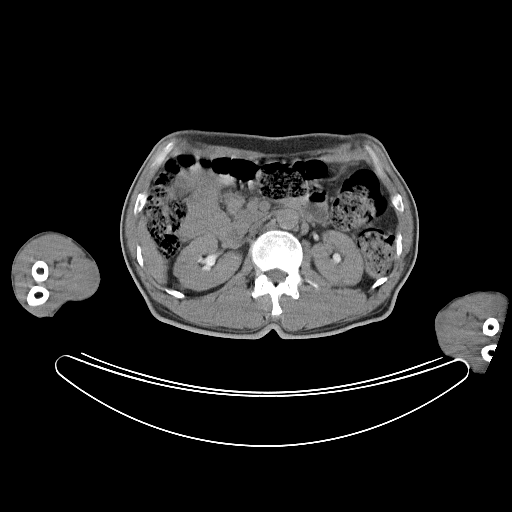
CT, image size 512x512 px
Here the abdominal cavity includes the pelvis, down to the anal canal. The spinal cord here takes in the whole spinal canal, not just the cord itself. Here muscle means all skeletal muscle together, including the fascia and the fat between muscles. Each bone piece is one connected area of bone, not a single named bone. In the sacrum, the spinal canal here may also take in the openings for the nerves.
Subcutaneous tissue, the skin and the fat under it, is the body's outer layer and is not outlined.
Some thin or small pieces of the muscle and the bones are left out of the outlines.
Outlines (x, y in pixels):
right arm: 44 230; 56 230; 62 232; 76 240; 94 258; 100 274; 100 283; 97 290; 93 295; 89 298; 81 301; 68 301; 52 317; 37 317; 24 309; 17 301; 13 293; 11 282; 10 281; 11 264; 15 253; 19 247; 29 237; 38 232
bones 1: 273 229; 287 231; 298 239; 303 252; 299 274; 304 280; 318 285; 315 288; 304 280; 298 286; 298 298; 282 294; 278 299; 282 310; 279 315; 271 315; 272 301; 269 294; 256 298; 251 294; 256 268; 249 253; 250 245; 260 234, around a hole outlined by 273 269; 279 269; 280 270; 283 271; 285 273; 286 273; 286 275; 285 276; 284 279; 283 280; 282 280; 281 281; 279 281; 276 283; 275 283; 271 280; 270 280; 267 276; 267 275; 266 274; 266 272; 269 270; 272 270
bones 2: 36 260; 43 260; 47 264; 48 267; 48 275; 47 278; 43 281; 41 284; 49 291; 49 295; 45 302; 42 304; 36 305; 35 306; 31 306; 27 303; 26 297; 28 291; 30 289; 31 286; 36 283; 31 274; 31 267
bones 3: 173 139; 174 139; 175 141; 174 145; 171 150; 167 154; 165 159; 157 168; 157 169; 156 169; 154 171; 151 171; 151 169; 150 168; 150 164; 152 160; 152 156; 153 156; 158 150; 163 147; 170 140; 172 140
bones 4: 488 317; 494 317; 495 318; 496 318; 497 319; 497 320; 498 321; 498 322; 499 323; 499 330; 494 335; 493 335; 492 336; 489 336; 488 335; 485 335; 483 333; 483 332; 482 331; 482 326; 483 325; 483 323; 484 322; 484 321
bones 5: 366 145; 368 145; 370 146; 375 151; 375 152; 379 157; 382 163; 382 165; 385 171; 385 173; 386 174; 386 177; 385 178; 383 178; 382 179; 376 171; 376 169; 374 166; 373 161; 369 153; 366 150; 365 148; 365 146
bones 6: 143 191; 146 191; 147 192; 147 199; 146 200; 146 202; 145 203; 143 208; 141 210; 141 211; 138 212; 136 214; 134 214; 133 213; 133 208; 134 207; 134 204; 135 203; 135 201; 136 200; 137 195; 139 193; 140 193
bones 7: 489 344; 496 344; 496 346; 495 347; 495 349; 493 351; 492 351; 491 352; 491 359; 489 362; 488 361; 486 361; 484 359; 483 359; 483 358; 481 355; 481 353; 480 352; 481 351; 481 348; 483 346; 484 346; 485 345; 488 345
bones 8: 395 193; 398 193; 401 196; 401 198; 402 199; 402 202; 403 203; 403 205; 404 206; 404 209; 402 212; 400 212; 399 211; 396 210; 395 209; 394 206; 392 204; 392 202; 391 201; 391 196; 392 195; 393 195
bones 9: 397 232; 399 232; 401 234; 401 246; 402 247; 402 250; 401 251; 401 254; 399 256; 399 257; 396 257; 396 242; 395 241; 395 238; 396 237; 396 234; 397 233
bones 10: 137 245; 140 245; 140 246; 141 247; 141 254; 142 255; 142 257; 143 258; 143 263; 144 264; 144 266; 143 267; 141 267; 140 266; 140 265; 138 263; 138 262; 137 261; 137 254; 136 253; 137 252
bones 11: 165 288; 168 288; 169 289; 173 289; 174 290; 177 290; 178 291; 179 291; 180 292; 181 292; 183 294; 184 294; 184 297; 183 298; 178 298; 177 297; 175 297; 173 295; 172 295; 171 294; 170 294; 169 293; 168 293; 165 290
bones 12: 385 276; 387 276; 387 279; 383 283; 382 283; 380 285; 379 285; 378 286; 377 286; 375 288; 374 288; 373 289; 371 289; 370 288; 370 287; 376 281; 376 280; 377 280; 379 278; 381 278; 382 277; 384 277
muscle 1: 170 138; 264 153; 331 148; 357 140; 370 140; 376 144; 405 191; 413 221; 412 244; 403 271; 389 296; 367 315; 308 331; 289 331; 279 321; 270 321; 254 330; 206 327; 186 321; 155 301; 133 264; 125 236; 130 199; 151 157; 149 168; 155 172; 148 190; 136 195; 132 208; 134 215; 139 213; 136 229; 140 244; 136 245; 136 261; 141 268; 145 266; 153 280; 175 298; 201 296; 221 288; 241 269; 249 254; 255 268; 250 294; 254 299; 269 295; 270 315; 279 316; 283 311; 279 301; 282 295; 298 299; 299 286; 304 281; 315 289; 319 287; 315 281; 304 279; 300 274; 304 257; 303 242; 307 242; 311 248; 311 267; 326 282; 336 288; 359 288; 364 291; 369 288; 373 290; 388 279; 395 257; 399 258; 403 250; 396 213; 404 211; 403 199; 398 192; 390 194; 383 181; 387 177; 383 163; 368 144; 364 148; 375 171; 364 162; 331 161; 311 155; 251 157; 202 155; 192 151; 167 157; 175 145; 174 138; 155 151
muscle 2: 48 233; 54 233; 65 237; 70 240; 82 251; 84 256; 93 265; 96 275; 96 283; 92 291; 86 296; 79 298; 66 299; 54 310; 47 313; 40 313; 37 311; 35 311; 28 306; 18 296; 15 288; 14 266; 18 255; 30 241 with a hole at 36 260; 43 260; 47 264; 48 267; 48 275; 47 278; 43 281; 41 284; 49 291; 49 295; 45 302; 42 304; 36 305; 35 306; 31 306; 27 303; 26 297; 28 291; 30 289; 31 286; 36 283; 31 274; 31 267
muscle 3: 478 293; 497 294; 504 299; 508 300; 503 327; 497 343; 485 344; 480 348; 479 352; 482 359; 489 363; 487 368; 483 366; 479 368; 473 367; 465 358; 453 355; 446 351; 441 344; 437 333; 437 326; 440 316; 446 309; 455 301 with a hole at 488 317; 494 317; 495 318; 496 318; 497 319; 497 320; 498 321; 498 322; 499 323; 499 330; 494 335; 493 335; 492 336; 489 336; 488 335; 485 335; 483 333; 483 332; 482 331; 482 326; 483 325; 483 323; 484 322; 484 321
torso: 182 128; 268 136; 316 131; 364 131; 378 138; 408 185; 419 218; 415 263; 389 315; 382 320; 333 335; 303 339; 284 339; 273 329; 257 339; 217 337; 188 331; 154 317; 124 260; 120 243; 120 217; 130 185; 154 144; 164 135
left arm: 475 290; 498 290; 504 293; 508 297; 508 303; 503 327; 501 330; 501 333; 495 349; 491 353; 491 359; 489 364; 484 373; 475 373; 468 367; 464 361; 459 359; 454 359; 444 355; 436 341; 434 333; 434 319; 437 312; 454 297
abdominal cavity: 192 152; 251 158; 311 156; 368 165; 386 187; 397 217; 390 271; 365 290; 336 287; 312 267; 312 248; 307 241; 302 246; 291 232; 273 228; 251 241; 240 269; 213 291; 189 296; 158 284; 144 263; 139 215; 150 182; 166 158
spinal cord: 273 269; 279 269; 280 270; 283 271; 285 273; 286 273; 286 275; 285 276; 284 279; 283 280; 282 280; 281 281; 279 281; 276 283; 275 283; 271 280; 270 280; 267 276; 267 275; 266 274; 266 272; 269 270; 272 270